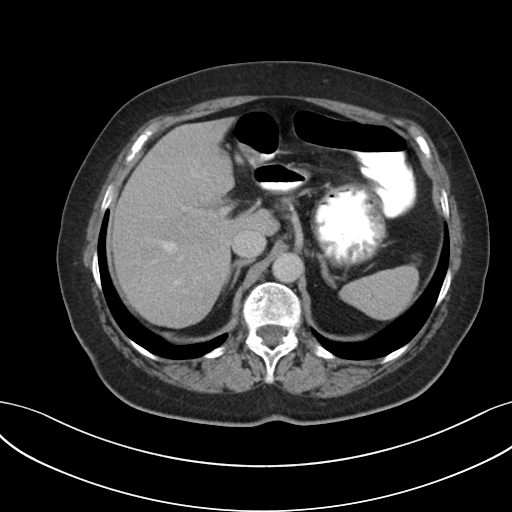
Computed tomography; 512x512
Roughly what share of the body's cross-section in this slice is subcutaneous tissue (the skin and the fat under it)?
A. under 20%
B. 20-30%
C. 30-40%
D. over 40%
Answer: B. 20-30%
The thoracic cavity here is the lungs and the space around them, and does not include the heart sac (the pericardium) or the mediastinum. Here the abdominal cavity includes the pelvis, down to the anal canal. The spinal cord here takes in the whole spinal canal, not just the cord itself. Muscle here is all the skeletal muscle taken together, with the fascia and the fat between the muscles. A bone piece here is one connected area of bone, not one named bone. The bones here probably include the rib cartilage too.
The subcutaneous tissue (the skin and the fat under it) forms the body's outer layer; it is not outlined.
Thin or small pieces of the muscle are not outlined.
{"muscle":[[[272,94],[326,98],[413,120],[425,130],[435,146],[448,174],[460,216],[461,262],[452,280],[448,313],[441,325],[412,359],[367,386],[336,397],[296,395],[272,383],[280,358],[298,346],[296,332],[302,312],[318,342],[313,345],[316,356],[329,360],[336,356],[348,360],[382,357],[379,363],[384,364],[409,347],[410,340],[432,309],[439,306],[451,285],[450,237],[445,219],[450,216],[448,194],[443,187],[439,188],[428,160],[432,157],[430,147],[414,125],[408,125],[407,131],[397,123],[352,118],[301,99],[260,98],[174,123],[144,145],[158,128],[157,122],[151,123],[130,146],[124,161],[132,162],[117,191],[115,184],[109,183],[100,203],[103,215],[91,258],[91,274],[97,288],[102,291],[111,315],[128,342],[154,361],[158,361],[159,356],[177,360],[221,356],[226,348],[223,344],[241,313],[247,328],[245,346],[258,355],[265,366],[263,379],[266,383],[253,389],[238,393],[196,392],[165,382],[137,367],[103,330],[82,259],[94,203],[119,153],[140,126],[158,115],[176,113],[210,99]]],"abdominal_cavity":[[[260,99],[301,100],[352,119],[397,124],[413,138],[435,173],[445,220],[437,266],[413,305],[370,339],[336,341],[310,329],[298,295],[283,283],[268,280],[249,291],[228,333],[174,345],[140,324],[116,292],[106,259],[108,208],[142,148],[174,124]]],"thoracic_cavity":[[[445,224],[447,226],[449,237],[448,265],[433,307],[424,323],[409,341],[383,356],[368,359],[348,359],[337,356],[325,348],[317,340],[311,331],[312,329],[322,336],[336,342],[364,342],[383,332],[396,320],[405,314],[422,295],[436,271],[444,244]],[[107,209],[108,217],[104,240],[107,271],[115,292],[128,313],[148,331],[174,346],[205,342],[224,333],[228,335],[222,344],[204,353],[201,356],[181,359],[169,358],[151,352],[130,338],[123,331],[110,311],[103,293],[100,276],[97,246],[103,216]]],"torso":[[[255,60],[327,63],[401,85],[437,107],[464,145],[489,222],[490,255],[483,298],[444,371],[409,401],[313,425],[275,420],[233,427],[168,418],[116,397],[96,374],[71,328],[59,287],[56,245],[70,185],[102,128],[120,106],[147,88],[206,67]]],"bones":[{"outer":[[268,281],[283,284],[290,292],[297,295],[301,305],[300,323],[295,332],[298,341],[297,346],[279,358],[273,371],[273,381],[271,383],[267,383],[264,379],[266,374],[264,360],[246,346],[245,340],[248,328],[242,315],[243,303],[250,291],[258,284]],"hole":[[265,325],[277,325],[278,326],[281,326],[285,328],[285,334],[281,337],[280,339],[280,342],[279,342],[276,345],[274,346],[269,346],[265,343],[264,343],[263,341],[263,339],[259,335],[258,335],[257,333],[257,329],[259,327],[261,326],[264,326]]},[[154,123],[157,123],[157,128],[156,130],[143,144],[140,150],[136,153],[134,158],[131,161],[127,163],[125,161],[125,158],[130,152],[131,146],[133,144],[135,140],[138,137],[138,136],[144,131],[144,130],[146,128],[147,128],[151,124],[153,124]],[[410,125],[412,126],[414,126],[417,129],[419,133],[425,139],[429,147],[429,149],[430,150],[430,153],[431,154],[431,157],[429,159],[427,159],[425,157],[424,154],[420,149],[418,144],[414,139],[414,137],[408,131],[407,129],[408,128],[408,126]],[[448,268],[450,269],[450,271],[451,272],[451,281],[450,282],[450,285],[447,290],[446,294],[444,296],[443,299],[440,302],[438,306],[434,307],[434,305],[438,297],[438,295],[439,294],[441,286],[443,283],[443,280],[445,277],[446,271]],[[111,183],[113,183],[114,184],[114,186],[115,187],[115,195],[114,196],[113,199],[109,204],[108,207],[103,213],[101,211],[101,203],[102,202],[102,200],[103,199],[104,194],[106,191],[106,189],[107,188],[107,187],[109,185],[109,184],[110,184]],[[95,250],[97,251],[97,260],[98,261],[98,267],[99,268],[99,276],[100,277],[100,282],[101,283],[101,288],[102,290],[100,290],[98,288],[94,280],[94,278],[92,274],[92,258],[93,257],[93,253]],[[440,188],[443,188],[445,190],[445,191],[447,194],[447,200],[448,201],[448,206],[449,207],[449,216],[448,217],[445,217],[444,216],[444,214],[442,211],[442,208],[441,207],[441,204],[440,203],[440,201],[438,198],[438,196],[440,193]],[[408,342],[408,343],[409,344],[408,345],[408,347],[399,356],[398,356],[396,358],[395,358],[392,360],[390,360],[387,362],[385,362],[384,363],[380,363],[380,361],[384,356],[385,356],[386,355],[387,355],[389,353],[396,350],[398,348],[403,346]],[[317,343],[319,343],[325,349],[326,349],[328,351],[329,351],[330,352],[331,352],[334,355],[335,355],[335,357],[332,359],[329,359],[328,358],[324,358],[323,357],[321,357],[320,356],[318,356],[317,355],[316,355],[314,353],[314,345]],[[129,338],[130,339],[133,340],[137,344],[138,344],[146,350],[147,350],[151,353],[158,356],[158,358],[159,359],[158,360],[154,360],[153,359],[152,359],[147,356],[145,356],[141,353],[140,353],[135,348],[134,348],[133,347],[133,346],[129,342]],[[221,345],[223,345],[225,348],[224,349],[224,351],[223,352],[223,353],[221,355],[220,355],[217,357],[212,357],[211,358],[205,358],[202,356],[204,354],[205,354],[206,353],[207,353],[208,352],[211,351],[213,349],[214,349],[215,348],[216,348]]],"spinal_cord":[[[265,325],[277,325],[278,326],[281,326],[285,328],[285,334],[281,337],[280,339],[280,342],[279,342],[276,345],[274,346],[269,346],[265,343],[264,343],[263,341],[263,339],[259,335],[258,335],[257,333],[257,329],[259,327],[261,326],[264,326]]]}